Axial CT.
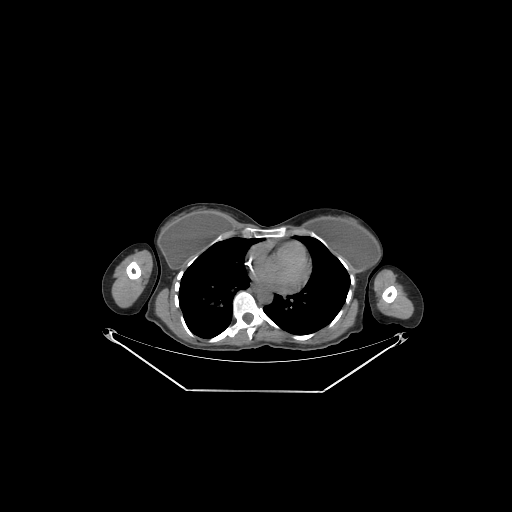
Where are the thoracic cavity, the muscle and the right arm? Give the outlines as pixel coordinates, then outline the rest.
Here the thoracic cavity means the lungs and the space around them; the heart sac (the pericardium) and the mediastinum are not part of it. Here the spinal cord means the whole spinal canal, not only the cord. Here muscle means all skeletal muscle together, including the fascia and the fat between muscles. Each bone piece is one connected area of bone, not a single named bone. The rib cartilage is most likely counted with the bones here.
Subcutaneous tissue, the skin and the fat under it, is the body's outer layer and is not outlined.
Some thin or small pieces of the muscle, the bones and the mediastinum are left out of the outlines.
{"thoracic_cavity":[[[234,236],[263,239],[251,245],[244,256],[244,264],[247,270],[247,275],[250,279],[249,285],[246,289],[238,290],[232,298],[233,320],[231,323],[219,333],[209,338],[200,337],[190,330],[180,308],[178,294],[180,281],[186,269],[202,252],[216,242]],[[294,235],[310,236],[321,242],[342,264],[350,280],[344,303],[334,317],[327,325],[316,331],[304,334],[291,333],[281,328],[263,308],[273,301],[275,294],[279,294],[284,298],[298,292],[310,277],[312,271],[311,255],[307,247],[301,241],[295,239]]],"muscle":[[[331,249],[343,257],[354,270],[357,280],[354,296],[358,301],[354,324],[331,340],[316,344],[286,341],[278,343],[261,340],[243,345],[198,345],[177,336],[154,312],[155,297],[163,288],[169,288],[171,286],[177,272],[174,283],[173,301],[174,306],[181,310],[179,319],[185,332],[190,337],[195,338],[197,336],[207,339],[209,343],[215,343],[226,337],[232,338],[241,329],[245,329],[250,341],[257,328],[263,323],[266,323],[275,329],[282,329],[292,334],[290,336],[297,341],[307,340],[325,326],[331,328],[343,314],[344,309],[342,307],[344,304],[348,305],[350,303],[353,295],[352,287],[356,282],[355,276],[350,272],[349,265],[341,257],[335,255]],{"outer":[[135,249],[138,250],[146,249],[151,253],[153,259],[152,272],[149,278],[148,283],[146,285],[146,287],[138,299],[131,306],[127,308],[121,308],[115,303],[111,295],[111,286],[114,280],[112,277],[112,275],[117,265],[118,265],[125,257],[133,253]],"hole":[[134,260],[138,264],[138,265],[140,267],[140,269],[141,270],[141,274],[139,277],[138,277],[135,279],[131,279],[128,276],[128,275],[126,272],[126,267],[128,265],[128,264],[131,261],[133,261]]},{"outer":[[382,269],[389,269],[394,273],[395,272],[397,275],[398,281],[403,286],[408,297],[412,301],[414,306],[414,311],[413,314],[409,318],[407,319],[400,319],[391,316],[387,316],[384,315],[378,310],[376,306],[375,292],[373,289],[373,281],[376,274]],"hole":[[390,285],[393,285],[396,288],[396,290],[397,291],[397,294],[396,295],[396,296],[395,297],[394,300],[392,302],[390,302],[389,303],[388,302],[386,302],[382,298],[382,293],[383,292],[383,291],[385,289],[385,288],[386,288],[388,286],[389,286]]},[[212,210],[227,215],[239,223],[242,223],[243,224],[244,223],[250,223],[256,226],[246,226],[240,231],[240,235],[236,235],[237,232],[235,230],[236,226],[234,223],[225,215],[219,213],[216,213],[215,212],[206,211],[211,211]]],"right_arm":[[[136,242],[147,242],[152,246],[152,249],[155,258],[155,262],[156,263],[156,267],[157,268],[157,280],[152,293],[147,298],[145,305],[138,313],[133,315],[119,315],[112,311],[104,302],[101,292],[102,276],[106,268],[114,257],[124,248],[130,244]]],"left_arm":[[[380,264],[381,265],[383,264],[393,264],[397,266],[405,272],[419,288],[423,297],[424,309],[423,310],[422,319],[420,323],[416,327],[414,328],[405,328],[396,324],[384,325],[378,323],[373,318],[370,311],[368,299],[366,297],[366,290],[369,282]]],"mediastinum":[[[251,280],[253,285],[254,286],[256,286],[258,288],[261,288],[265,290],[270,290],[271,291],[279,293],[275,293],[273,295],[273,299],[272,301],[270,303],[266,304],[262,307],[257,303],[257,301],[255,297],[250,292],[246,290],[249,287]]],"spinal_cord":[[[246,313],[250,313],[252,315],[252,319],[251,320],[251,321],[250,322],[246,322],[243,319],[243,316]]],"pericardium":[[[290,239],[294,239],[301,242],[306,247],[311,258],[311,271],[309,277],[303,287],[298,291],[293,293],[283,294],[277,291],[265,289],[254,285],[252,280],[248,275],[248,270],[245,264],[246,254],[248,250],[254,244],[276,240],[289,240]]],"breast_implant":[[[192,212],[209,212],[210,213],[215,213],[225,216],[235,226],[234,230],[223,232],[219,234],[205,248],[190,258],[181,267],[176,269],[171,269],[168,265],[165,257],[158,244],[158,239],[165,229],[172,223],[179,218]],[[320,218],[340,219],[350,223],[356,224],[364,229],[377,243],[379,248],[379,253],[377,260],[366,269],[356,272],[350,263],[343,256],[334,251],[324,240],[318,235],[315,234],[313,231],[308,230],[301,226],[302,224],[307,221],[315,220]]],"bones":[{"outer":[[240,290],[245,290],[250,293],[254,297],[256,303],[280,328],[275,328],[268,323],[263,322],[256,328],[250,340],[246,329],[241,328],[232,337],[226,336],[215,342],[209,342],[208,339],[219,334],[234,320],[233,319],[233,298],[235,294]],"hole":[[246,313],[250,313],[252,315],[252,319],[251,320],[251,321],[250,322],[246,322],[243,319],[243,316]]},[[280,226],[285,226],[289,231],[294,229],[305,229],[308,231],[311,231],[324,241],[330,249],[317,238],[310,235],[294,234],[277,238],[275,237],[264,237],[263,238],[243,237],[241,235],[241,231],[246,227],[258,227],[262,229],[271,229]],[[134,260],[138,264],[138,265],[140,267],[140,269],[141,270],[141,274],[139,277],[138,277],[135,279],[131,279],[128,276],[128,275],[126,272],[126,267],[128,265],[128,264],[131,261],[133,261]],[[390,285],[393,285],[396,288],[396,290],[397,291],[397,294],[396,295],[396,296],[395,297],[394,300],[392,302],[390,302],[389,303],[388,302],[386,302],[382,298],[382,293],[383,292],[383,291],[385,289],[385,288],[386,288],[388,286],[389,286]],[[337,257],[341,258],[348,265],[349,272],[354,276],[354,281],[355,282],[354,283],[354,285],[351,287],[351,289],[352,290],[352,295],[348,304],[346,304],[345,303],[345,300],[347,296],[348,290],[351,285],[351,280],[350,279],[350,276],[348,271]],[[180,270],[183,270],[184,271],[184,272],[179,281],[179,289],[178,290],[178,293],[177,294],[178,295],[178,301],[179,302],[179,307],[178,308],[175,306],[175,302],[174,301],[174,296],[175,295],[175,283],[177,281],[177,274],[178,273],[178,272]],[[232,231],[235,231],[236,232],[236,234],[235,235],[231,237],[229,237],[228,238],[225,238],[221,240],[218,240],[214,243],[213,243],[211,245],[208,246],[209,244],[213,242],[219,235],[223,233],[226,233],[227,232],[231,232]],[[313,332],[315,332],[315,333],[313,336],[312,336],[311,337],[310,337],[307,339],[305,339],[304,340],[297,340],[296,339],[295,339],[294,338],[293,338],[291,336],[293,334],[294,334],[295,335],[304,335],[305,334],[309,334],[310,333],[312,333]],[[182,314],[183,316],[183,318],[184,319],[184,321],[187,327],[189,329],[189,330],[194,335],[195,335],[195,337],[192,337],[190,336],[186,332],[185,329],[183,327],[182,325],[182,323],[181,322],[181,320],[180,319],[180,316]],[[342,308],[343,309],[343,312],[342,313],[342,314],[340,316],[340,317],[338,319],[338,320],[331,327],[328,327],[328,324],[335,317],[335,316],[338,313],[338,312]],[[196,255],[198,255],[197,256],[197,257],[191,263],[191,264],[190,265],[189,265],[187,267],[186,266],[186,265],[187,264],[187,263],[189,261],[189,260],[190,259],[191,259],[194,256],[195,256]]],"torso":[[[195,202],[231,205],[263,225],[275,224],[319,207],[346,210],[362,218],[383,246],[382,259],[365,290],[363,329],[336,345],[311,351],[267,345],[239,351],[204,351],[183,346],[164,334],[144,316],[148,298],[158,280],[153,237],[159,223],[169,213]]]}